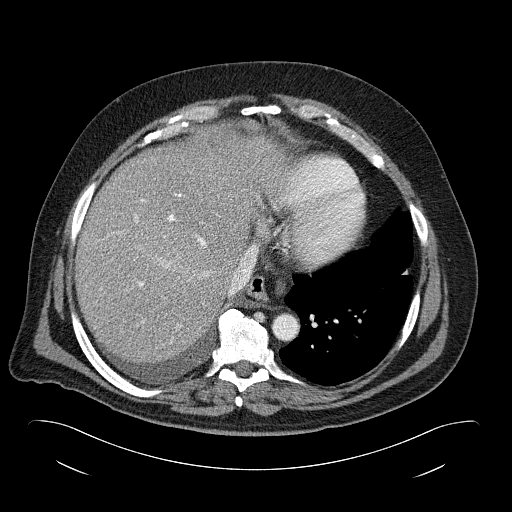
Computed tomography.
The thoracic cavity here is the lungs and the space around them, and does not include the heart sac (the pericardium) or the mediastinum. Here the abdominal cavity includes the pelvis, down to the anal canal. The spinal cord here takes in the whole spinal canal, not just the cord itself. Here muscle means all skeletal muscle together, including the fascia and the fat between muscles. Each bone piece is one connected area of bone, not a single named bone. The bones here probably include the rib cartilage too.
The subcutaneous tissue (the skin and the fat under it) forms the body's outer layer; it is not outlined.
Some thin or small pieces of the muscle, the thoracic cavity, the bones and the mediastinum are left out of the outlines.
Outlines (x, y in pixels):
bones 1: 230,308 241,311 265,328 268,335 268,346 273,351 275,360 286,372 304,381 306,385 271,375 269,379 255,382 239,392 232,382 218,378 217,372 207,377 204,376 212,362 212,352 219,346 217,319 220,314 with a hole at 241,360 246,360 250,363 251,363 253,365 254,367 254,369 252,371 250,375 248,376 246,376 245,377 243,377 242,376 239,376 237,375 234,369 234,365 237,362
bones 2: 71,310 73,310 77,314 96,351 102,359 113,370 122,377 139,387 147,389 160,388 163,390 160,393 151,397 140,397 130,394 116,387 104,378 90,363 82,351 76,339 72,327 72,322 70,316
bones 3: 304,104 313,105 327,111 333,117 337,118 341,123 356,131 382,156 384,160 385,170 383,171 374,166 361,152 349,142 331,132 328,129 328,126 324,121 325,118 323,116 305,120 291,113 291,107 296,107
bones 4: 201,105 215,105 219,107 218,115 216,117 205,119 202,121 192,120 187,127 174,135 165,138 156,139 142,147 137,147 137,144 142,140 143,137 148,132 153,131 158,127 165,125 166,120 168,118 192,107
bones 5: 94,181 96,181 97,182 97,185 89,202 89,205 86,210 85,215 83,218 83,221 81,224 81,227 76,238 75,245 73,247 71,243 71,224 72,223 74,210 77,204 77,201 82,193 86,189 86,188
bones 6: 417,290 420,292 420,303 419,304 419,310 417,314 417,318 415,321 414,326 407,339 402,345 402,346 399,349 396,350 394,349 395,342 400,335 401,329 406,319 406,316 411,303 411,300 413,297 414,293
bones 7: 409,201 411,201 422,212 423,215 425,217 425,219 427,223 427,243 425,246 422,246 420,244 419,240 416,235 415,229 414,228 414,225 413,224 412,218 411,217 411,214 408,208 408,203
bones 8: 270,103 277,103 281,107 281,111 279,113 277,113 276,114 266,114 265,113 254,113 253,114 249,114 248,115 245,115 244,114 242,114 240,112 240,110 241,108 245,106 249,106 250,105 267,105
spinal cord: 241,360 246,360 250,363 251,363 253,365 254,367 254,369 252,371 250,375 248,376 246,376 245,377 243,377 242,376 239,376 237,375 234,369 234,365 237,362
torso: 251,60 303,61 343,70 391,95 424,128 464,216 478,267 473,322 452,371 424,396 376,417 277,436 217,435 158,425 112,410 57,383 12,377 8,359 24,310 36,220 86,124 115,97 154,77 201,65
abdominal cavity: 230,112 275,115 307,139 287,175 261,195 256,205 253,228 260,246 253,271 233,303 218,315 216,327 208,329 188,353 152,369 122,363 90,339 73,294 74,250 92,197 106,175 138,148 174,136 193,122
muscle 1: 271,92 283,93 302,98 315,99 324,102 338,109 359,124 373,138 374,141 391,158 411,183 414,190 421,200 422,206 425,210 425,214 430,221 435,235 440,244 446,268 446,281 447,282 448,301 449,302 448,307 448,317 449,318 448,322 449,323 447,328 447,337 441,354 433,362 417,373 368,398 365,398 359,401 338,407 314,409 301,412 280,412 266,416 255,413 245,407 236,408 230,412 216,416 188,414 177,412 164,407 149,404 145,402 134,401 101,386 91,378 77,370 70,368 53,360 48,359 42,355 37,354 32,345 33,344 33,338 38,326 38,321 45,298 49,275 52,268 52,261 53,257 55,255 55,248 59,238 60,230 62,226 65,224 68,212 72,204 87,183 90,176 106,157 119,144 123,142 128,136 136,130 153,119 162,116 185,104 197,100 227,97 232,94 248,93 258,96 261,94 268,94 with holes at 270,103 283,113 313,105 356,131 382,156 405,205 411,201 422,212 427,243 422,246 416,235 413,241 413,292 420,292 420,303 410,334 371,370 338,385 311,382 280,363 306,385 271,375 239,392 217,372 204,376 211,358 156,386 163,390 151,397 116,387 90,363 72,327 71,310 79,315 71,243 78,199 168,118 201,105 215,105 221,115 and at 237,395 239,395 241,397 241,398 242,399 242,405 241,406 237,406 236,405 236,404 235,403 235,397
muscle 2: 320,117 323,117 324,118 324,120 323,121 324,122 324,123 327,126 327,128 326,128 325,127 324,127 321,125 319,125 318,124 316,124 315,123 313,123 310,121 310,120 311,119 313,119 314,118 319,118
mediastinum 1: 261,246 280,266 288,271 298,272 292,275 293,285 285,295 284,302 297,314 300,321 300,329 297,337 278,350 280,363 276,360 275,353 269,346 269,335 266,328 241,310 235,307 230,307 251,277
mediastinum 2: 281,112 293,114 302,120 321,126 349,143 374,167 384,172 391,179 407,209 395,209 371,234 367,245 354,250 353,248 358,247 365,239 372,222 373,195 366,175 336,147 307,138 282,118 277,117 276,115
thoracic cavity 1: 397,209 408,209 410,214 415,233 417,276 399,335 387,354 368,372 338,385 311,382 285,367 281,364 279,350 297,338 301,329 298,314 285,302 294,285 293,275 310,276 347,253 363,249 370,242 372,234
thoracic cavity 2: 212,327 215,328 215,331 217,332 218,346 212,350 211,358 189,374 170,383 155,387 142,387 122,376 103,359 92,343 93,342 96,346 99,346 122,364 134,368 152,370 163,368 188,354 200,341 202,336
pericardium: 308,139 330,145 345,155 365,175 372,195 371,222 367,234 361,243 335,262 309,275 288,270 276,262 259,242 254,228 255,210 261,196 273,189 288,175 297,160 302,156 306,147 306,140